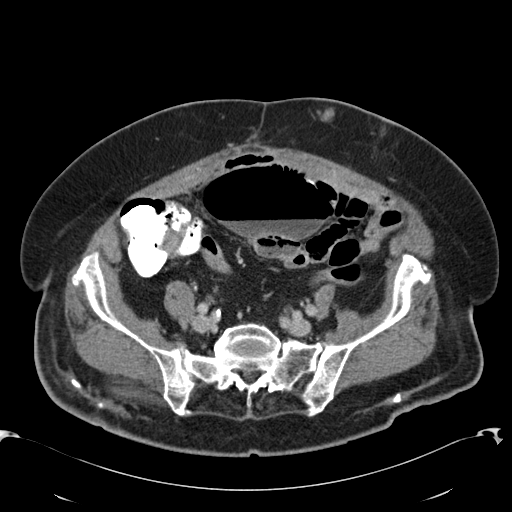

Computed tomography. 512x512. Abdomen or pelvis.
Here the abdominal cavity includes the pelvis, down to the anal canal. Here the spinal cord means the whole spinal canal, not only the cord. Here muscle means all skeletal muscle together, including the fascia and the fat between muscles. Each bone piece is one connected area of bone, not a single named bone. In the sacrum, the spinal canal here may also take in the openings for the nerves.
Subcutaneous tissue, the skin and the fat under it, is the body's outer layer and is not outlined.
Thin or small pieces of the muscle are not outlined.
Outlines:
spinal cord: 244,371 256,371 257,372 258,372 258,375 257,376 257,377 255,379 255,380 254,381 253,381 252,382 251,382 250,383 248,383 247,382 246,382 243,379 243,378 242,377 242,373
torso: 305,96 348,102 408,127 477,188 499,248 495,292 473,310 483,353 478,381 398,415 384,430 276,456 167,450 110,433 56,405 34,363 41,294 24,283 19,264 26,221 46,187 88,147 158,110 204,99
muscle 1: 245,142 296,148 350,166 401,194 421,211 435,240 431,267 440,311 435,348 422,363 379,380 346,388 334,399 337,383 352,351 406,316 412,307 414,286 418,282 426,285 432,273 425,263 413,254 404,252 393,276 389,308 382,319 353,339 340,343 322,342 325,334 336,327 336,309 332,306 325,318 317,320 315,291 323,285 332,285 333,303 339,308 349,308 360,315 374,311 384,298 385,262 392,238 408,222 408,213 395,199 375,189 323,179 285,165 269,151 248,147 226,155 191,189 167,196 132,197 117,214 121,255 118,276 125,301 140,318 156,318 164,330 177,334 186,347 180,345 167,349 150,344 117,317 108,299 97,250 84,255 71,275 71,283 75,287 82,285 87,303 99,319 143,347 160,371 162,397 171,411 120,399 102,383 97,372 80,359 70,343 63,312 67,273 79,258 90,235 125,196 206,155
muscle 2: 193,377 208,385 214,384 219,391 232,386 240,392 244,391 248,408 251,406 252,394 261,388 268,393 289,392 296,384 303,383 300,398 306,406 306,414 288,413 243,421 210,414 190,415 187,406 195,386
muscle 3: 174,280 181,280 185,282 185,283 187,284 190,288 194,297 193,313 191,317 190,317 189,319 188,319 187,321 183,324 181,324 177,320 174,319 168,313 164,306 164,295 165,294 165,288 166,285 169,282
abdominal cavity: 248,148 323,180 375,190 408,219 391,238 383,298 371,312 339,307 326,283 313,293 316,320 332,307 336,324 320,341 283,340 247,321 227,326 212,354 192,352 126,301 118,214 132,198 191,190 226,156 with a hole at 174,280 181,280 185,282 185,283 187,284 190,288 194,297 193,313 191,317 190,317 189,319 188,319 187,321 183,324 181,324 177,320 174,319 168,313 164,306 164,295 165,294 165,288 166,285 169,282
bones: 95,251 125,326 150,345 209,356 227,327 247,322 283,341 345,343 388,312 404,253 431,277 413,286 406,315 351,351 320,413 306,415 303,382 261,387 248,407 244,390 193,376 180,416 152,355 72,283, around a hole outlined by 244,371 256,371 257,372 258,372 258,375 257,376 257,377 255,379 255,380 254,381 253,381 252,382 251,382 250,383 248,383 247,382 246,382 243,379 243,378 242,377 242,373